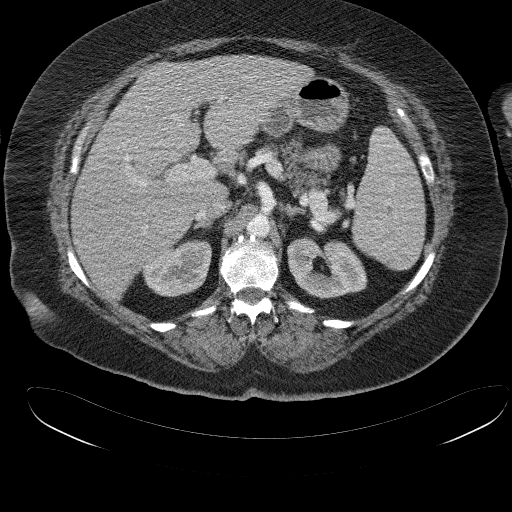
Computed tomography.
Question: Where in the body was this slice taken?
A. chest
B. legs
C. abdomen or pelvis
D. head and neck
Answer: C. abdomen or pelvis
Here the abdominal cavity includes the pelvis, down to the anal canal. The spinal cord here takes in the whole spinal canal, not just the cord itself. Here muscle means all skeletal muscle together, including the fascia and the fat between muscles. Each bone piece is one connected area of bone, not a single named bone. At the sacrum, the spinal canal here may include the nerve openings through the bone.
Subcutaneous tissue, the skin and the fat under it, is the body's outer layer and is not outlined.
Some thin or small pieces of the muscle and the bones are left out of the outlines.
torso: 157 0; 346 0; 413 30; 462 76; 486 122; 508 225; 500 277; 492 296; 466 333; 437 360; 404 380; 351 395; 242 401; 160 389; 84 362; 34 333; 9 276; 11 245; 3 170; 13 123; 39 75; 64 48; 99 24
muscle: 237 35; 256 35; 277 38; 285 37; 298 40; 308 40; 325 46; 341 46; 347 53; 369 62; 377 69; 385 72; 393 81; 401 83; 411 89; 420 99; 423 100; 424 105; 428 108; 437 130; 444 141; 445 148; 451 162; 450 172; 455 180; 453 200; 455 207; 454 214; 451 218; 452 224; 449 227; 448 235; 444 242; 445 249; 442 254; 443 257; 441 259; 439 271; 432 290; 427 296; 428 298; 405 318; 377 333; 352 352; 349 358; 343 358; 323 370; 308 374; 289 372; 269 361; 257 351; 253 353; 250 351; 248 352; 236 365; 218 373; 204 372; 190 368; 100 318; 81 302; 69 295; 61 293; 56 283; 58 253; 56 251; 55 239; 49 227; 50 223; 48 214; 45 210; 45 203; 49 194; 47 184; 52 172; 50 165; 54 157; 57 140; 60 137; 60 133; 66 122; 71 118; 76 109; 80 108; 80 104; 88 94; 92 93; 96 88; 112 79; 127 65; 143 57; 147 53; 153 53; 162 47; 196 38; 205 39 with holes at 232 41; 266 42; 300 53; 313 52; 367 78; 383 91; 389 121; 415 157; 425 151; 431 161; 435 176; 427 189; 432 229; 424 253; 430 247; 435 252; 433 262; 415 288; 404 294; 398 291; 367 315; 354 319; 350 327; 327 327; 321 322; 329 318; 326 315; 289 309; 285 301; 296 298; 277 279; 271 297; 277 322; 271 313; 264 312; 252 325; 242 313; 228 322; 232 294; 222 277; 221 289; 208 305; 219 302; 213 313; 200 317; 185 313; 170 320; 176 323; 175 328; 159 332; 147 325; 152 321; 148 317; 87 287; 69 266; 68 210; 78 175; 69 173; 69 167; 80 130; 94 119; 87 147; 118 94; 152 62 and at 396 106; 398 106; 399 107; 402 108; 405 111; 405 112; 408 115; 409 118; 411 120; 411 121; 413 124; 413 126; 410 126; 409 127; 407 127; 404 123; 403 123; 399 120; 399 118; 395 111; 395 107
left arm: 506 81; 510 81; 511 82; 511 185; 507 177; 507 175; 504 170; 504 168; 501 161; 501 157; 500 156; 499 148; 498 147; 498 144; 497 143; 496 132; 491 124; 491 122; 489 118; 489 115; 487 111; 487 102; 492 91; 498 85
spinal cord: 248 287; 253 287; 254 288; 259 288; 265 292; 265 295; 263 297; 262 297; 257 302; 256 302; 255 303; 253 303; 252 304; 247 301; 244 301; 242 299; 240 299; 238 297; 238 293; 241 290; 242 290; 245 288; 247 288
bones 1: 245 240; 269 242; 277 258; 279 275; 272 289; 275 295; 271 297; 277 310; 277 322; 274 322; 271 313; 264 312; 257 315; 252 325; 250 319; 242 313; 234 315; 231 322; 227 321; 232 294; 219 273; 219 265; 222 255; 234 242 with a hole at 248 287; 253 287; 254 288; 259 288; 265 292; 265 295; 263 297; 262 297; 257 302; 256 302; 255 303; 253 303; 252 304; 247 301; 244 301; 242 299; 240 299; 238 297; 238 293; 241 290; 242 290; 245 288; 247 288
bones 2: 91 118; 94 119; 93 122; 94 128; 90 132; 91 135; 85 141; 86 148; 81 154; 81 159; 79 163; 78 172; 75 175; 74 174; 71 174; 69 173; 69 167; 71 163; 71 154; 72 153; 72 148; 75 139; 80 130
bones 3: 429 247; 430 247; 431 249; 435 252; 435 256; 429 270; 427 272; 423 279; 420 282; 420 283; 415 288; 412 289; 410 291; 404 294; 400 293; 400 292; 409 283; 411 279; 414 276; 414 275; 422 264; 424 260; 425 254; 428 252
bones 4: 423 151; 425 151; 427 153; 431 161; 431 163; 432 164; 432 166; 434 170; 435 176; 434 177; 434 183; 432 185; 427 185; 424 179; 424 177; 422 174; 422 172; 420 169; 420 166; 418 164; 418 162; 417 161; 417 155
bones 5: 68 246; 71 246; 73 250; 73 252; 77 259; 77 261; 79 263; 81 268; 83 270; 87 279; 89 281; 91 285; 95 289; 94 290; 87 287; 76 276; 76 275; 70 268; 69 264; 68 263; 67 254; 66 253; 67 252; 67 247
bones 6: 329 318; 337 318; 338 319; 342 319; 343 320; 353 320; 354 321; 354 324; 350 327; 348 327; 347 328; 338 328; 337 329; 335 329; 331 327; 327 327; 326 326; 324 326; 322 324; 321 322; 322 320; 324 319; 328 319
bones 7: 295 299; 298 300; 304 305; 306 305; 307 306; 309 306; 310 307; 313 308; 315 310; 315 312; 314 312; 311 314; 310 313; 304 313; 303 312; 300 312; 295 309; 289 309; 287 307; 287 306; 285 303; 285 301; 286 300; 294 300
bones 8: 164 321; 170 321; 171 322; 174 322; 175 323; 176 323; 176 327; 175 328; 174 328; 173 329; 171 329; 170 330; 169 330; 168 331; 166 331; 165 332; 159 332; 158 331; 156 331; 155 330; 152 329; 147 325; 150 322; 163 322
bones 9: 216 300; 217 300; 219 302; 217 305; 217 308; 216 310; 213 313; 211 314; 208 314; 207 315; 203 315; 200 317; 192 317; 188 314; 189 312; 192 311; 194 309; 201 309; 207 306; 210 306; 212 305
bones 10: 396 106; 398 106; 399 107; 402 108; 405 111; 405 112; 408 115; 409 118; 411 120; 411 121; 413 124; 413 126; 410 126; 409 127; 407 127; 404 123; 403 123; 399 120; 399 118; 395 111; 395 107
abdominal cavity: 232 41; 313 52; 383 91; 389 121; 427 186; 432 229; 410 280; 367 315; 328 317; 301 302; 278 281; 278 258; 265 240; 234 241; 220 257; 217 296; 163 321; 105 299; 78 261; 69 232; 70 196; 82 156; 108 108; 152 62